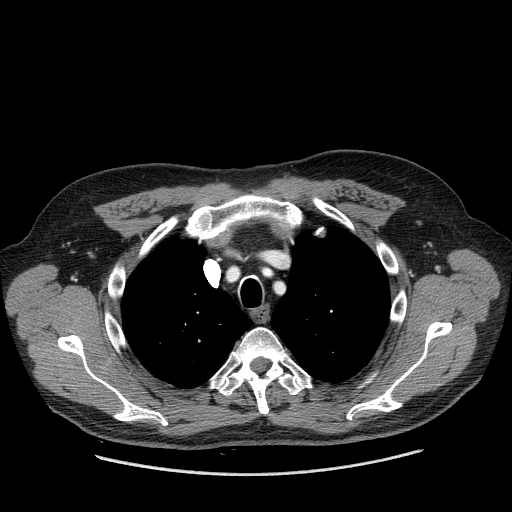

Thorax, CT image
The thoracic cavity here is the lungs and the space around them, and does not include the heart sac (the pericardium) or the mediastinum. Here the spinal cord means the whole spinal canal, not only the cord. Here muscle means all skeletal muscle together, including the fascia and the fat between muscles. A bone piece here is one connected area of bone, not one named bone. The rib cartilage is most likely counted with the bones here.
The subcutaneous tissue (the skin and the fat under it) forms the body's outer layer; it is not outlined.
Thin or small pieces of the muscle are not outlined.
The bones appear in 12 outlined pieces: piece 1: 256,326 267,327 276,334 295,362 313,378 314,385 311,389 304,388 292,395 276,379 271,381 265,388 265,398 269,408 265,415 258,410 253,390 246,381 227,396 216,389 206,387 208,380 225,362 242,336, around a hole outlined by 258,357 262,357 263,358 264,358 265,359 266,359 269,362 269,366 267,368 267,369 264,372 263,372 262,373 257,373 256,372 255,372 251,368 251,363 252,362 252,361 254,359 255,359 256,358 257,358; piece 2: 250,192 270,195 298,206 305,216 305,222 299,229 286,230 277,225 273,226 268,222 250,219 241,224 232,225 200,243 198,243 196,239 182,236 183,227 188,217 197,208 206,205 216,206 239,194; piece 3: 71,334 80,338 87,365 96,376 117,389 130,402 143,408 158,411 164,416 168,424 165,426 153,419 121,421 113,418 112,415 123,408 123,403 118,396 86,371 78,354 65,351 58,346 57,340 60,336; piece 4: 435,321 450,322 452,327 448,333 436,336 429,341 424,359 392,390 392,397 402,402 403,406 387,412 376,409 362,410 356,412 351,419 347,419 346,413 352,406 363,401 374,399 382,394 421,356 428,326; piece 5: 173,214 178,214 179,215 178,217 178,221 174,227 170,231 170,232 163,239 162,239 141,261 140,261 135,266 134,266 135,262 137,259 137,255 143,242 156,227 157,227 162,222 163,222 167,218; piece 6: 313,195 316,195 318,196 324,201 331,204 341,211 352,222 355,229 364,239 365,242 360,239 356,235 353,234 347,228 344,227 337,222 332,220 329,217 325,215 318,208 317,208 310,200 311,196; piece 7: 106,307 112,312 113,315 117,319 118,322 120,324 124,337 126,340 126,342 130,348 130,350 128,349 124,349 121,355 120,355 114,348 112,343 108,337 108,335 106,331 105,322 104,321 104,309; piece 8: 377,237 379,237 381,238 387,244 388,244 388,245 394,251 396,255 396,257 397,258 397,261 398,262 398,274 395,276 389,276 388,275 383,265 381,263 379,258 374,252 374,249 375,248 375,240; piece 9: 118,260 125,267 125,271 126,272 127,277 125,281 125,285 124,286 122,296 119,299 114,300 110,298 109,296 109,294 107,290 107,284 108,283 108,277 109,276 110,271 112,268 112,266 114,263; piece 10: 399,287 403,287 405,289 406,298 407,299 407,305 406,306 406,309 405,310 405,315 404,316 403,321 400,326 398,326 396,324 393,324 391,323 389,320 390,311 391,310 391,305 392,304 392,299 395,295; piece 11: 372,370 377,370 378,371 378,373 377,374 377,375 373,379 373,380 370,383 367,384 364,387 363,387 362,388 358,388 357,387 357,385 358,384 358,383 363,379 364,376 368,372 369,372; piece 12: 322,225 323,226 324,226 324,227 325,228 325,234 323,236 322,236 321,237 320,237 319,236 316,236 315,235 314,235 313,234 313,233 314,232 314,231 315,230 315,229 316,229 318,226 321,226. The spinal cord is outlined by 258,357 262,357 263,358 264,358 265,359 266,359 269,362 269,366 267,368 267,369 264,372 263,372 262,373 257,373 256,372 255,372 251,368 251,363 252,362 252,361 254,359 255,359 256,358 257,358. The mediastinum is outlined by 250,220 268,223 286,231 299,230 306,222 321,222 321,225 316,228 305,229 293,241 285,292 273,308 270,328 264,325 251,327 248,317 234,299 220,287 212,286 203,272 207,250 200,244 232,226 241,225. The muscle is outlined by 284,172 318,179 349,178 403,199 406,202 405,206 390,216 388,227 418,266 432,265 452,250 463,248 478,253 492,264 501,283 500,292 480,334 478,347 463,373 446,385 416,396 404,406 402,401 393,397 393,390 427,356 430,341 451,331 453,324 450,321 435,320 427,326 420,356 382,393 355,403 345,413 345,418 351,420 356,413 362,411 390,412 362,426 333,434 278,425 264,416 245,424 222,426 179,436 159,435 146,427 121,423 117,421 153,420 165,427 169,424 168,420 158,410 130,401 117,388 96,375 88,365 81,338 74,333 60,335 56,340 57,346 65,352 78,355 85,371 95,381 112,391 122,403 122,408 109,416 92,406 54,395 38,382 30,369 8,312 7,289 19,273 40,263 50,263 75,273 87,266 100,252 106,237 101,218 93,210 94,206 162,185 200,185 216,179 238,186 256,185 with holes at 250,192 294,203 306,222 331,220 311,196 336,207 373,251 377,237 394,251 391,298 403,287 407,299 401,325 388,323 355,376 314,379 293,395 275,379 265,388 265,415 246,381 226,396 205,383 179,388 158,379 131,350 116,351 104,321 106,307 121,321 120,300 107,290 116,261 128,276 143,242 171,215 178,221 166,236 181,234 197,208 and at 372,370 377,370 378,371 378,373 377,374 377,375 373,379 373,380 370,383 367,384 364,387 363,387 362,388 358,388 357,387 357,385 358,384 358,383 363,379 364,376 368,372 369,372. The torso is outlined by 340,148 394,154 428,168 453,188 470,215 511,240 508,297 499,335 479,381 455,405 417,429 387,438 329,446 224,446 198,451 100,441 49,407 12,335 0,249 23,238 60,189 87,174 127,164 248,167. The thoracic cavity appears in 2 outlined pieces: piece 1: 331,220 347,229 373,251 389,277 391,294 389,322 375,354 361,371 343,381 314,379 296,362 271,328 274,308 286,292 292,264 292,248 296,237 307,229 314,229 312,234 321,238 326,234 326,228 322,223; piece 2: 177,232 184,238 196,240 205,248 206,255 202,264 205,279 212,287 220,288 226,292 250,323 250,328 241,336 220,367 205,383 193,388 173,386 148,371 132,352 120,323 120,299 124,294 128,276 162,240.